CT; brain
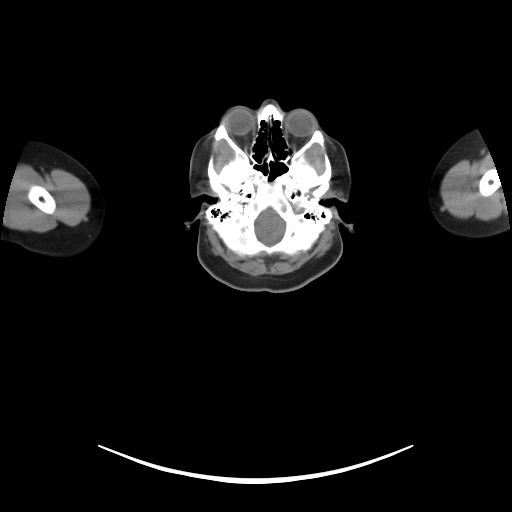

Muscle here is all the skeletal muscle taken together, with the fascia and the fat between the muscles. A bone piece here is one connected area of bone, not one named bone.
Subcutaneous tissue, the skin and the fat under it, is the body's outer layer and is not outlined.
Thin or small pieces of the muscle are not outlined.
Outlines:
left arm: 473 128; 476 128; 479 131; 485 144; 489 145; 488 148; 489 155; 491 157; 493 165; 495 166; 501 183; 509 223; 509 229; 506 233; 483 239; 461 238; 445 231; 435 221; 427 201; 428 182; 436 164; 446 150; 460 136
bones 1: 268 103; 284 113; 281 131; 273 122; 279 159; 287 155; 282 133; 291 153; 322 132; 331 177; 320 202; 332 217; 306 251; 240 256; 205 217; 218 199; 207 167; 211 155; 216 171; 233 157; 224 140; 215 144; 221 121; 250 150; inner edges: 269 208; 273 210; 277 214; 277 215; 279 216; 279 217; 281 218; 282 220; 283 220; 284 222; 284 231; 283 232; 283 234; 281 238; 276 242; 272 243; 271 244; 267 244; 261 241; 257 237; 257 235; 255 231; 255 221; 262 212, then 315 144; 316 144; 320 148; 320 149; 322 151; 322 155; 323 156; 323 165; 324 166; 324 168; 323 169; 323 171; 321 173; 318 173; 318 172; 315 168; 315 167; 307 159; 307 158; 306 157; 306 152; 313 145; 314 145, then 272 162; 273 163; 276 162; 281 163; 286 167; 286 169; 284 171; 276 175; 272 179; 269 179; 270 173; 269 172; 264 173; 263 171; 257 168; 256 166; 261 166; 263 164; 265 164; 266 165; 266 168; 268 171; 270 169; 270 164, then 260 132; 266 134; 265 137; 263 139; 263 142; 266 146; 266 151; 265 153; 261 156; 260 160; 257 161; 254 157; 254 155; 256 153; 254 150; 254 146; 257 142; 257 139; 259 136
bones 2: 34 184; 36 185; 40 185; 44 188; 45 188; 53 197; 55 201; 55 203; 56 204; 56 207; 53 213; 51 214; 48 214; 47 213; 45 213; 43 211; 39 209; 35 205; 34 205; 28 198; 28 196; 27 195; 28 191; 30 187
bones 3: 493 166; 495 166; 495 168; 497 171; 497 173; 498 174; 498 176; 501 183; 501 187; 498 188; 491 195; 489 196; 482 196; 480 195; 479 193; 479 190; 478 189; 478 184; 479 183; 479 180; 482 175; 488 169; 491 168
muscle 1: 20 161; 30 164; 37 170; 40 167; 46 171; 49 171; 52 168; 60 168; 66 170; 78 177; 86 185; 91 197; 91 206; 90 210; 79 224; 75 226; 67 226; 61 224; 46 232; 34 232; 12 229; 3 222; 10 185; 16 166 with a hole at 34 184; 36 185; 40 185; 44 188; 45 188; 53 197; 55 201; 55 203; 56 204; 56 207; 53 213; 51 214; 48 214; 47 213; 45 213; 43 211; 39 209; 35 205; 34 205; 28 198; 28 196; 27 195; 28 191; 30 187
muscle 2: 204 215; 222 243; 240 257; 253 257; 263 252; 269 256; 273 254; 294 256; 300 252; 306 252; 312 248; 333 215; 335 222; 333 244; 325 255; 292 279; 264 279; 238 276; 217 257; 210 253; 208 244; 205 240; 206 235; 203 224
muscle 3: 486 156; 491 158; 493 165; 479 178; 477 184; 478 193; 482 197; 489 197; 500 188; 503 202; 502 214; 489 221; 483 221; 473 217; 467 219; 453 217; 446 212; 445 201; 440 197; 439 193; 441 181; 445 173; 462 159; 484 158
muscle 4: 214 131; 213 141; 215 146; 218 146; 220 142; 224 141; 231 149; 232 157; 224 163; 219 170; 216 170; 214 165; 214 155; 211 154; 209 156; 206 174; 209 187; 213 192; 211 193; 197 186; 199 180; 195 173; 195 165; 201 147
muscle 5: 324 135; 337 149; 337 152; 339 155; 339 158; 340 159; 341 172; 342 173; 343 181; 344 182; 344 195; 340 195; 336 193; 332 193; 322 198; 330 187; 330 180; 332 177; 332 165; 330 161; 330 158; 325 150; 325 140; 324 139
muscle 6: 315 144; 316 144; 320 148; 320 149; 322 151; 322 155; 323 156; 323 165; 324 166; 324 168; 323 169; 323 171; 321 173; 318 173; 318 172; 315 168; 315 167; 307 159; 307 158; 306 157; 306 152; 313 145; 314 145
head: 266 97; 283 110; 313 112; 344 147; 352 178; 347 202; 320 201; 354 225; 353 233; 339 225; 340 259; 280 293; 243 291; 215 279; 197 258; 199 222; 188 230; 184 224; 202 202; 218 199; 190 197; 196 141; 227 107; 256 106 with holes at 276 121; 278 121; 279 122; 279 126; 278 127; 281 132; 281 137; 283 138; 285 142; 284 151; 286 153; 286 155; 284 158; 279 158; 278 157; 278 153; 276 151; 274 152; 274 149; 273 148; 273 133; 275 129; 274 122 and at 272 162; 273 163; 276 162; 281 163; 286 167; 286 169; 284 171; 276 175; 272 179; 269 179; 270 173; 269 172; 264 173; 263 171; 257 168; 256 166; 261 166; 263 164; 265 164; 266 165; 266 168; 268 171; 270 169; 270 164 and at 260 132; 266 134; 265 137; 263 139; 263 142; 266 146; 266 151; 265 153; 261 156; 260 160; 257 161; 254 157; 254 155; 256 153; 254 150; 254 146; 257 142; 257 139; 259 136
right arm: 32 138; 52 144; 71 155; 90 171; 99 183; 103 191; 106 203; 106 216; 103 230; 99 238; 99 241; 93 251; 83 258; 68 260; 44 256; 27 251; 17 245; 8 243; 4 241; 1 237; 4 211; 14 172; 27 142; 29 139
brain: 269 208; 273 210; 277 214; 277 215; 279 216; 279 217; 281 218; 282 220; 283 220; 284 222; 284 231; 283 232; 283 234; 281 238; 276 242; 272 243; 271 244; 267 244; 261 241; 257 237; 257 235; 255 231; 255 221; 262 212